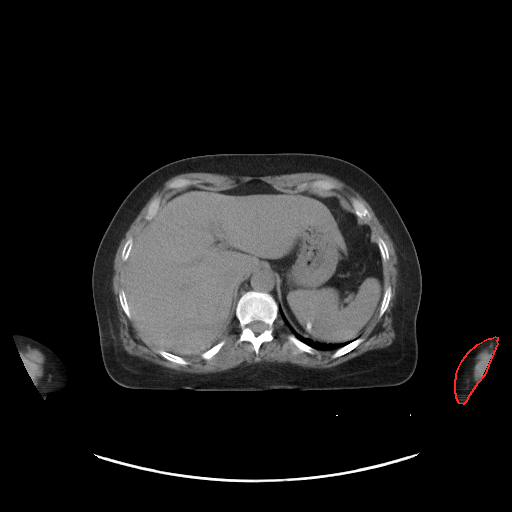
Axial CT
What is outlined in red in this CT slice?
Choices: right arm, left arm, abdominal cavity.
red: left arm.
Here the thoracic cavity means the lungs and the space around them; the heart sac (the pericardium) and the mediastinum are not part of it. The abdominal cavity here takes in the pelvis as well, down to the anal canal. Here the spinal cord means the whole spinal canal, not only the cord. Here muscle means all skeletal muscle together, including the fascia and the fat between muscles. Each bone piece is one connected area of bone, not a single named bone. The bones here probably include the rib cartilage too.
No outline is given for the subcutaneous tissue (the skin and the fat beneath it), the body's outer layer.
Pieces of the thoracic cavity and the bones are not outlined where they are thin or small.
Outlines:
left arm: 495 336; 497 337; 497 340; 496 341; 497 343; 484 375; 477 383; 467 398; 466 401; 463 404; 459 403; 456 398; 456 394; 455 393; 455 379; 456 378; 456 374; 458 368; 462 360; 468 352; 477 344; 488 338; 491 338
muscle 1: 189 172; 205 172; 206 173; 216 173; 217 174; 236 175; 237 176; 266 176; 267 175; 290 174; 291 173; 298 173; 299 172; 317 172; 318 173; 324 173; 335 177; 357 192; 370 206; 383 228; 388 234; 393 243; 393 246; 397 256; 397 263; 396 264; 398 272; 397 275; 397 288; 396 289; 396 294; 394 298; 394 304; 392 307; 392 312; 391 313; 392 314; 392 326; 395 333; 395 336; 391 344; 381 348; 376 348; 368 350; 344 362; 327 368; 305 367; 290 362; 276 362; 275 361; 274 362; 253 363; 248 365; 241 364; 235 367; 232 367; 222 371; 208 372; 207 373; 191 373; 184 371; 178 371; 175 369; 162 366; 144 358; 135 356; 128 353; 124 349; 122 345; 122 342; 119 337; 119 325; 120 322; 115 302; 115 298; 112 289; 112 278; 114 273; 113 263; 117 248; 120 243; 120 241; 125 235; 125 233; 129 228; 131 223; 153 194; 156 191; 159 190; 163 186; 164 183; 171 177; 178 174; 188 173 with a hole at 178 178; 197 180; 193 186; 213 190; 260 180; 284 192; 297 191; 305 182; 333 181; 337 187; 327 194; 350 207; 351 197; 359 199; 371 217; 366 223; 375 241; 380 237; 386 244; 389 259; 383 263; 384 286; 391 287; 387 308; 380 317; 378 313; 375 316; 355 348; 335 358; 331 357; 334 350; 316 349; 312 354; 299 351; 289 341; 291 333; 278 316; 273 339; 263 342; 258 354; 249 341; 236 344; 241 332; 236 318; 221 338; 224 344; 210 359; 200 354; 185 357; 189 363; 183 365; 164 358; 120 304; 126 263; 121 254; 127 239; 134 239; 146 223; 145 215; 154 197; 160 195; 161 202; 177 190; 167 185
muscle 2: 26 344; 32 345; 36 348; 39 349; 44 354; 44 355; 48 358; 48 373; 47 375; 40 382; 39 385; 37 387; 36 387; 34 385; 34 383; 30 378; 29 374; 21 360; 21 357; 18 353; 18 349; 19 348; 22 348
muscle 3: 494 341; 496 341; 497 343; 493 351; 493 354; 490 359; 489 364; 487 366; 487 368; 485 371; 484 375; 481 378; 481 379; 477 383; 476 383; 473 380; 473 362; 474 361; 474 357; 482 349; 488 346; 489 344; 491 343; 492 344
spinal cord: 253 321; 261 321; 262 322; 263 322; 264 323; 265 323; 267 325; 267 328; 266 329; 265 329; 262 332; 261 332; 259 334; 258 334; 257 335; 256 335; 253 332; 253 331; 250 328; 249 328; 248 327; 248 324; 249 323; 250 323
mediastinum: 260 266; 269 268; 275 275; 275 279; 276 280; 276 298; 275 299; 270 293; 266 291; 259 291; 258 290; 253 290; 252 289; 245 291; 241 295; 242 284; 246 280; 248 276; 249 276; 250 274; 256 269; 256 268; 258 268
thoracic cavity: 279 308; 285 319; 293 330; 304 338; 307 338; 310 340; 312 340; 314 342; 319 342; 322 344; 338 344; 339 343; 351 341; 337 348; 335 350; 316 349; 312 346; 303 342; 294 336; 289 331; 285 324; 279 317
bones 1: 251 290; 259 292; 266 292; 270 294; 278 306; 278 316; 273 325; 273 339; 271 341; 263 342; 259 347; 258 354; 255 353; 253 345; 249 341; 242 341; 236 344; 236 341; 241 332; 239 322; 236 317; 236 306; 240 297; 245 292, around a hole outlined by 253 321; 261 321; 262 322; 263 322; 264 323; 265 323; 267 325; 267 328; 266 329; 265 329; 262 332; 261 332; 259 334; 258 334; 257 335; 256 335; 253 332; 253 331; 250 328; 249 328; 248 327; 248 324; 249 323; 250 323
bones 2: 315 180; 330 180; 331 181; 333 181; 337 185; 337 187; 336 188; 334 188; 330 190; 328 192; 328 193; 318 193; 317 192; 312 191; 309 189; 304 189; 303 190; 298 190; 297 189; 297 187; 299 185; 305 182; 311 182
bones 3: 351 197; 355 197; 359 199; 363 203; 364 206; 367 209; 371 217; 371 218; 369 220; 368 220; 366 222; 364 221; 363 219; 360 218; 355 213; 354 211; 354 209; 352 207; 350 203; 350 198
bones 4: 359 337; 361 337; 363 339; 363 340; 355 348; 354 348; 352 350; 351 350; 350 351; 349 351; 340 356; 338 356; 335 358; 332 358; 331 357; 332 354; 337 349; 338 349; 339 348; 346 345; 348 343; 355 340; 357 338; 358 338
bones 5: 178 178; 187 178; 188 179; 193 179; 194 180; 197 180; 198 182; 195 184; 193 184; 192 185; 190 185; 189 186; 187 186; 183 188; 168 188; 167 187; 167 185; 168 183; 170 181; 174 179; 177 179
bones 6: 158 349; 161 349; 164 351; 169 352; 172 354; 180 356; 184 358; 187 361; 188 361; 189 363; 188 364; 183 365; 182 364; 179 364; 178 363; 170 361; 164 358; 161 355; 160 355; 157 352; 157 350
bones 7: 290 334; 291 334; 294 337; 295 337; 303 343; 315 349; 315 352; 312 354; 311 353; 309 353; 305 351; 299 351; 296 347; 296 346; 293 343; 289 341; 288 339; 288 335
bones 8: 389 285; 391 287; 391 296; 390 297; 390 300; 388 303; 388 306; 387 308; 385 310; 383 314; 380 317; 379 316; 379 310; 380 309; 380 305; 381 304; 381 302; 382 301; 382 299; 384 295; 384 291; 385 290; 385 288
bones 9: 157 195; 160 195; 160 201; 159 202; 159 205; 154 215; 150 219; 147 220; 145 218; 145 215; 146 214; 146 212; 149 207; 149 205; 150 203; 152 201; 154 197; 155 197
bones 10: 121 288; 122 288; 125 292; 125 295; 126 296; 127 303; 128 304; 128 306; 129 307; 129 310; 131 313; 131 317; 132 318; 131 318; 130 319; 129 318; 128 318; 128 317; 125 314; 125 313; 120 304; 120 301; 119 300; 119 290
bones 11: 222 340; 224 340; 224 344; 220 348; 220 349; 210 359; 204 359; 203 358; 202 358; 202 357; 201 356; 201 354; 202 353; 203 353; 205 351; 208 350; 210 348; 211 348; 214 345; 215 345; 217 343; 218 343; 220 341; 221 341
bones 12: 378 237; 380 237; 382 238; 382 239; 386 244; 386 246; 388 249; 388 253; 389 254; 389 259; 384 262; 383 262; 382 260; 382 257; 380 253; 380 250; 379 249; 379 247; 377 243; 377 238
bones 13: 129 237; 132 237; 133 238; 133 243; 132 244; 131 249; 129 252; 128 257; 127 258; 127 259; 125 261; 124 261; 123 260; 122 260; 122 259; 121 258; 121 254; 122 253; 122 249; 124 246; 124 244; 125 243; 125 242
abdominal cavity: 252 180; 284 192; 334 195; 351 206; 369 226; 383 263; 385 287; 377 315; 355 339; 322 343; 304 337; 276 301; 276 275; 260 265; 241 284; 236 318; 221 340; 193 357; 158 348; 136 325; 124 289; 134 239; 176 190; 226 190
torso: 278 152; 324 154; 349 161; 371 175; 397 209; 413 241; 422 280; 416 319; 418 358; 411 377; 393 386; 263 391; 134 389; 113 381; 105 370; 101 356; 92 296; 92 268; 100 241; 122 201; 146 175; 178 159; 217 153
right arm: 14 333; 22 334; 31 337; 47 345; 51 348; 61 359; 67 371; 67 383; 60 391; 49 393; 46 396; 46 399; 43 397; 34 385; 34 383; 30 378; 29 374; 21 360; 21 357; 18 353; 18 349; 14 340; 14 337; 13 336